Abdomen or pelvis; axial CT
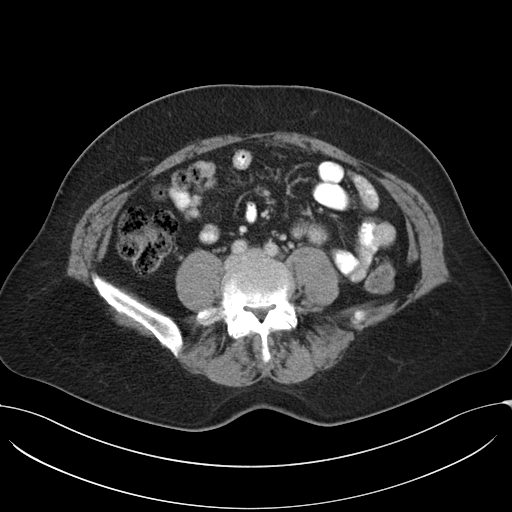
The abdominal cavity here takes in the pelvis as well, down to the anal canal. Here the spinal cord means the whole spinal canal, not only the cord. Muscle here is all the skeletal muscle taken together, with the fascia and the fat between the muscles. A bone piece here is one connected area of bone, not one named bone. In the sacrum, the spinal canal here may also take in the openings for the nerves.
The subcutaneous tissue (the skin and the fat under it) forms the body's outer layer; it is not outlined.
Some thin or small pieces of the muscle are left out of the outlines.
The abdominal cavity is outlined by (251, 139) (335, 158) (379, 183) (405, 219) (405, 262) (419, 264) (412, 289) (328, 310) (339, 275) (312, 245) (300, 245) (284, 263) (248, 259) (224, 274) (219, 257) (194, 249) (174, 278) (192, 312) (186, 315) (167, 314) (109, 280) (99, 265) (132, 194) (186, 159). The torso is outlined by (225, 83) (331, 90) (370, 105) (416, 135) (445, 168) (472, 228) (511, 282) (511, 348) (506, 355) (487, 370) (358, 420) (321, 426) (256, 409) (205, 431) (179, 430) (126, 417) (8, 369) (0, 361) (0, 286) (39, 230) (76, 158) (102, 131) (135, 108) (186, 88). The spinal cord is outlined by (246, 307) (247, 307) (248, 308) (259, 308) (260, 307) (271, 307) (271, 308) (270, 308) (267, 311) (267, 312) (266, 313) (266, 314) (265, 315) (264, 318) (262, 320) (260, 320) (253, 313) (253, 312) (252, 311) (251, 311) (248, 309) (246, 309) (245, 308). The bones appear in 3 outlined pieces: piece 1: (261, 258) (285, 264) (294, 283) (289, 300) (301, 307) (296, 309) (294, 328) (272, 331) (268, 335) (271, 358) (266, 363) (262, 360) (261, 338) (257, 333) (233, 338) (228, 335) (223, 320) (207, 325) (196, 320) (200, 310) (219, 304) (223, 277) (228, 271) (241, 262), around a hole outlined by (246, 307) (247, 307) (248, 308) (259, 308) (260, 307) (271, 307) (271, 308) (270, 308) (267, 311) (267, 312) (266, 313) (266, 314) (265, 315) (264, 318) (262, 320) (260, 320) (253, 313) (253, 312) (252, 311) (251, 311) (248, 309) (246, 309) (245, 308); piece 2: (93, 273) (98, 274) (104, 279) (146, 306) (160, 313) (169, 316) (177, 324) (182, 335) (183, 343) (177, 357) (175, 357) (169, 349) (162, 345) (150, 330) (131, 317) (129, 317) (124, 313) (117, 311) (110, 305) (98, 293) (98, 291) (94, 286) (91, 277); piece 3: (357, 310) (364, 310) (365, 311) (365, 316) (364, 317) (364, 318) (362, 320) (361, 320) (360, 321) (359, 321) (358, 322) (356, 322) (355, 323) (354, 323) (353, 322) (353, 320) (354, 319) (354, 313) (355, 312) (355, 311) (356, 311). The muscle appears in 3 outlined pieces: piece 1: (266, 131) (315, 137) (411, 184) (437, 217) (450, 280) (364, 329) (328, 369) (298, 383) (265, 377) (233, 387) (192, 374) (175, 358) (184, 341) (178, 324) (168, 315) (193, 313) (176, 291) (179, 266) (196, 249) (219, 258) (221, 298) (218, 304) (200, 309) (195, 320) (203, 326) (223, 321) (233, 339) (257, 334) (266, 364) (272, 358) (269, 335) (298, 325) (297, 309) (302, 307) (290, 300) (295, 283) (285, 263) (300, 246) (323, 250) (338, 275) (339, 291) (328, 311) (413, 289) (420, 264) (406, 262) (409, 237) (404, 213) (375, 179) (323, 153) (259, 138) (226, 144) (156, 174) (127, 198) (111, 223) (98, 265) (108, 280) (96, 272) (90, 276) (97, 293) (66, 275) (66, 268) (75, 225) (100, 195) (197, 139), around a hole outlined by (357, 310) (364, 310) (365, 311) (365, 316) (364, 317) (364, 318) (362, 320) (361, 320) (360, 321) (359, 321) (358, 322) (356, 322) (355, 323) (354, 323) (353, 322) (353, 320) (354, 319) (354, 313) (355, 312) (355, 311) (356, 311); piece 2: (98, 294) (117, 312) (124, 314) (129, 318) (131, 318) (134, 321) (139, 323) (146, 329) (150, 331) (159, 343) (155, 339) (141, 335) (133, 329) (118, 325) (113, 320) (112, 320) (112, 316) (108, 313) (106, 305) (104, 304) (102, 301) (102, 299) (98, 295); piece 3: (109, 281) (111, 281) (113, 283) (117, 284) (119, 286) (127, 288) (130, 291) (135, 293) (139, 297) (144, 299) (150, 304) (158, 308) (164, 313) (160, 312) (146, 305) (144, 303) (141, 302) (136, 298) (133, 297).